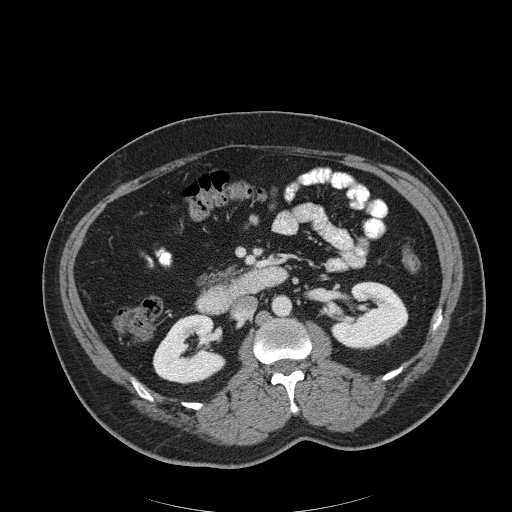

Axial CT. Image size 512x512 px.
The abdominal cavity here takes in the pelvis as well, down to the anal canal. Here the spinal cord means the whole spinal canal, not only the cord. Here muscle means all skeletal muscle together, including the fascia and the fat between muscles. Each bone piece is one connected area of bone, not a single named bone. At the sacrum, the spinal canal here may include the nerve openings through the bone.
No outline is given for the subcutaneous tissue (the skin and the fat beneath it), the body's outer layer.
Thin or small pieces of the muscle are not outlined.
torso: [[255,110],[351,122],[388,137],[415,156],[450,191],[474,231],[485,280],[483,333],[471,367],[447,400],[419,425],[387,443],[341,450],[302,440],[265,461],[235,469],[167,463],[109,433],[71,387],[44,315],[44,253],[72,192],[113,151],[178,120]]
abdominal cavity: [[227,148],[274,150],[369,172],[419,212],[435,242],[441,287],[415,354],[383,374],[364,373],[330,357],[332,340],[321,325],[292,316],[251,329],[237,349],[239,368],[208,400],[163,395],[119,363],[92,325],[75,282],[74,263],[90,225],[119,197]]
bones 1: [[292,317],[303,324],[311,341],[311,350],[303,360],[304,378],[297,381],[294,387],[294,401],[299,409],[295,413],[290,410],[290,401],[285,387],[280,383],[273,385],[270,382],[267,366],[259,361],[253,353],[253,343],[256,331],[264,323],[272,318]], around a hole outlined by [[282,359],[290,359],[291,360],[294,360],[296,361],[296,363],[297,364],[296,365],[296,367],[295,369],[293,371],[292,371],[288,374],[284,374],[281,372],[278,372],[274,370],[273,368],[273,364],[276,361],[278,361]]
bones 2: [[130,374],[134,376],[140,382],[141,382],[143,384],[143,385],[146,388],[148,392],[153,397],[154,399],[153,401],[149,401],[146,399],[144,399],[140,397],[138,395],[137,392],[135,390],[131,382],[129,380],[129,375]]
bones 3: [[439,306],[440,306],[442,309],[442,320],[441,321],[441,323],[439,325],[439,326],[438,327],[437,330],[435,332],[432,332],[432,331],[431,330],[431,324],[433,321],[433,316],[434,315],[434,312],[435,311],[436,308]]
bones 4: [[403,363],[404,363],[404,367],[402,369],[400,373],[399,373],[393,378],[391,379],[389,379],[386,381],[383,381],[381,380],[381,377],[382,375],[385,374],[387,372],[395,368],[397,368],[401,364]]
bones 5: [[182,400],[184,400],[185,401],[194,401],[195,402],[201,402],[203,404],[203,406],[200,409],[198,409],[197,410],[195,410],[194,409],[192,409],[191,408],[187,408],[186,407],[185,407],[184,406],[183,406],[180,403],[181,402],[181,401]]
muscle: [[230,143],[255,144],[256,145],[285,145],[286,146],[296,146],[297,147],[327,150],[328,151],[344,152],[364,157],[372,162],[382,163],[395,167],[409,173],[427,186],[440,201],[454,226],[461,250],[461,255],[463,262],[463,280],[457,303],[451,315],[447,333],[445,336],[444,341],[440,347],[439,353],[433,365],[424,374],[412,383],[399,396],[393,405],[385,413],[378,417],[370,419],[351,431],[346,431],[345,432],[330,431],[326,429],[323,429],[318,426],[312,425],[308,423],[305,419],[303,419],[299,416],[292,416],[279,431],[277,431],[264,441],[253,445],[225,446],[224,445],[217,445],[205,441],[194,434],[189,433],[186,431],[180,431],[178,428],[172,427],[157,420],[153,420],[140,413],[129,403],[130,394],[121,385],[114,382],[97,369],[76,338],[69,324],[63,308],[60,295],[59,268],[60,267],[60,260],[65,243],[69,235],[80,219],[92,207],[105,196],[111,193],[120,184],[134,179],[147,171],[149,171],[170,161],[184,157],[189,154],[196,153],[200,151],[203,151],[207,149]], around a hole outlined by [[227,148],[274,150],[369,172],[419,212],[439,259],[436,306],[442,320],[435,332],[429,324],[421,347],[403,362],[400,373],[383,381],[381,374],[332,359],[330,336],[308,319],[303,325],[311,350],[303,360],[304,378],[294,387],[295,413],[285,387],[270,382],[267,366],[254,355],[253,329],[237,349],[239,368],[200,409],[145,384],[154,400],[138,395],[130,373],[84,309],[74,277],[76,256],[90,225],[109,203]]
spinal cord: [[282,359],[290,359],[291,360],[294,360],[296,361],[296,363],[297,364],[296,365],[296,367],[295,369],[293,371],[292,371],[288,374],[284,374],[281,372],[278,372],[274,370],[273,368],[273,364],[276,361],[278,361]]